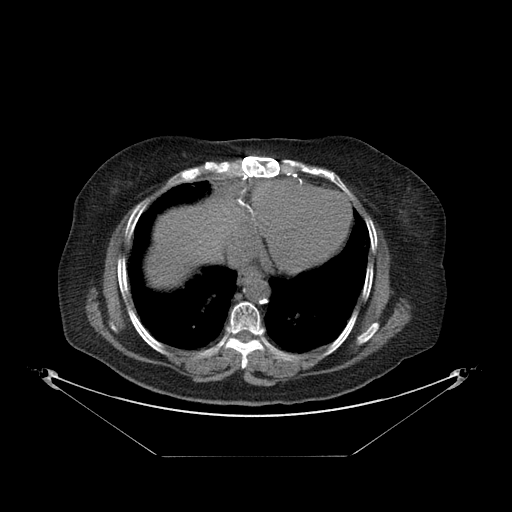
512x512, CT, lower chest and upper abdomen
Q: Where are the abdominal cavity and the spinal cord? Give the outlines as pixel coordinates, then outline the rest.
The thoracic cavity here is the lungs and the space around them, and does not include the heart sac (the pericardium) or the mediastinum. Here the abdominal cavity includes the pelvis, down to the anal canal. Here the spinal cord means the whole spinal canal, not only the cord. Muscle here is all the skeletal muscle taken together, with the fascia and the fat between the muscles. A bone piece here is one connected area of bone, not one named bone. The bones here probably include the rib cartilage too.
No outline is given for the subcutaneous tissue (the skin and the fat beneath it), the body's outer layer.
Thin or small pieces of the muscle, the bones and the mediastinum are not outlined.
A: Outlined structures:
abdominal cavity: 214 194; 237 197; 237 200; 254 227; 254 236; 236 244; 222 265; 202 267; 200 273; 188 280; 182 288; 167 293; 156 292; 150 289; 145 284; 141 264; 143 254; 150 241; 152 224; 157 214; 170 206; 190 203; 205 195; 209 197
spinal cord: 244 330; 250 332; 252 335; 252 337; 251 338; 251 339; 250 339; 248 341; 247 341; 246 342; 243 342; 242 341; 241 341; 239 339; 238 339; 236 337; 236 335; 239 332; 240 332; 241 331; 243 331
pericardium: 301 173; 325 178; 347 195; 353 204; 353 223; 351 230; 342 249; 321 265; 304 270; 293 277; 271 274; 267 272; 262 265; 261 252; 255 238; 256 230; 246 210; 238 200; 238 192; 245 183; 252 178; 273 178; 281 174; 297 178
thoracic cavity 1: 195 181; 208 181; 209 193; 190 202; 170 205; 156 214; 140 264; 145 286; 164 294; 182 289; 202 268; 226 266; 235 270; 236 287; 220 338; 206 348; 189 350; 162 343; 141 322; 129 288; 127 259; 135 227; 144 211; 170 188
thoracic cavity 2: 354 208; 357 210; 366 226; 369 238; 369 250; 363 285; 346 324; 330 343; 315 350; 292 353; 279 348; 268 339; 263 323; 272 295; 272 287; 269 283; 269 279; 271 276; 293 278; 304 271; 321 266; 336 256; 348 241; 354 223
bones 1: 249 155; 267 156; 277 160; 292 159; 309 167; 331 170; 339 176; 353 198; 350 199; 329 179; 321 175; 302 172; 297 177; 281 173; 273 177; 245 178; 206 172; 193 181; 164 189; 166 182; 184 169; 202 166; 206 161; 232 162
bones 2: 240 301; 251 302; 259 310; 265 335; 273 345; 298 358; 278 359; 267 349; 263 351; 255 349; 247 355; 247 364; 241 368; 241 354; 233 348; 222 347; 213 355; 198 357; 196 354; 199 351; 212 346; 221 338; 228 322; 230 309 with a hole at 244 330; 250 332; 252 335; 252 337; 251 338; 251 339; 250 339; 248 341; 247 341; 246 342; 243 342; 242 341; 241 341; 239 339; 238 339; 236 337; 236 335; 239 332; 240 332; 241 331; 243 331
bones 3: 127 305; 128 305; 135 312; 140 322; 148 331; 148 332; 156 340; 157 340; 164 345; 165 348; 170 353; 169 355; 165 355; 164 354; 162 354; 158 352; 156 350; 152 348; 140 336; 140 335; 135 329; 129 317; 129 315; 127 311
bones 4: 354 310; 357 310; 358 312; 357 314; 357 317; 355 320; 353 327; 351 329; 347 337; 334 351; 333 351; 330 354; 322 358; 320 358; 319 357; 320 355; 326 349; 328 345; 330 344; 343 330; 343 329; 347 324; 347 322; 350 318
bones 5: 146 198; 148 198; 149 199; 149 202; 146 208; 138 218; 136 222; 136 224; 134 227; 132 236; 130 238; 130 239; 128 240; 126 239; 125 237; 125 229; 126 228; 126 225; 127 224; 128 219; 135 206; 139 202; 140 202; 142 200
bones 6: 121 255; 124 255; 126 257; 126 274; 127 275; 127 282; 128 283; 128 288; 129 289; 129 293; 126 296; 126 301; 125 301; 122 297; 122 295; 120 291; 120 288; 119 287; 118 277; 117 276; 117 261; 118 260; 118 258
bones 7: 368 262; 371 262; 373 264; 373 278; 372 279; 372 284; 371 285; 371 288; 370 289; 370 292; 369 293; 368 298; 366 301; 364 301; 361 298; 361 292; 362 291; 362 289; 364 285; 364 282; 365 281; 366 268; 367 267; 367 264
bones 8: 365 216; 369 216; 372 219; 373 221; 373 224; 374 225; 374 227; 376 231; 376 234; 377 235; 377 246; 376 247; 376 249; 374 253; 373 253; 370 250; 370 238; 369 237; 368 229; 367 228; 367 226; 364 220; 364 217
bones 9: 374 322; 377 322; 379 324; 379 326; 378 327; 377 330; 374 333; 374 334; 367 341; 364 342; 362 344; 357 344; 357 343; 356 342; 356 338; 361 333; 364 332; 370 326; 370 325; 372 323; 373 323
muscle: 340 177; 356 190; 384 233; 390 255; 390 301; 395 302; 401 296; 414 299; 414 311; 409 321; 382 347; 363 359; 339 370; 279 385; 248 383; 243 379; 241 371; 220 380; 196 382; 170 367; 125 355; 89 323; 85 312; 86 295; 91 286; 100 287; 112 233; 142 193; 169 178; 162 188; 166 191; 148 206; 150 199; 146 197; 132 209; 124 229; 125 239; 128 241; 131 238; 129 253; 127 258; 121 254; 116 261; 119 291; 125 302; 130 293; 135 311; 128 304; 126 311; 139 336; 152 349; 165 356; 171 354; 165 345; 189 351; 201 350; 195 354; 198 358; 213 356; 222 348; 233 349; 240 354; 241 369; 247 366; 248 355; 255 350; 267 350; 276 359; 283 361; 296 360; 299 357; 295 354; 315 351; 324 346; 327 346; 318 357; 322 359; 330 355; 345 341; 354 327; 359 313; 354 309; 360 295; 364 302; 369 298; 374 264; 368 261; 368 254; 369 251; 374 254; 378 246; 373 219; 369 215; 362 217; 352 203; 353 194, around holes outlined by 374 322; 377 322; 379 324; 379 326; 378 327; 377 330; 374 333; 374 334; 367 341; 364 342; 362 344; 357 344; 357 343; 356 342; 356 338; 361 333; 364 332; 370 326; 370 325; 372 323; 373 323 and by 110 322; 111 322; 112 322; 113 323; 114 324; 114 325; 115 326; 116 327; 116 328; 117 329; 117 330; 117 331; 116 331; 115 331; 114 331; 113 330; 112 330; 111 329; 111 328; 110 327; 110 326; 110 325; 110 324; 110 323
mediastinum 1: 254 237; 260 252; 260 262; 262 267; 267 273; 274 275; 271 275; 268 279; 268 283; 271 287; 271 295; 267 310; 262 319; 260 310; 251 301; 240 300; 231 307; 231 300; 237 287; 237 272; 234 268; 223 265; 233 252; 236 245
mediastinum 2: 212 176; 224 176; 228 178; 239 177; 242 179; 251 178; 248 179; 238 190; 237 196; 233 194; 223 194; 222 193; 214 193; 209 196; 206 194; 209 194; 211 191; 209 189; 211 185; 209 181; 208 180; 195 180; 201 178; 207 178
torso: 162 134; 185 134; 212 140; 344 134; 369 143; 414 171; 439 198; 446 217; 443 265; 447 299; 437 342; 352 392; 320 401; 263 406; 207 404; 156 393; 125 379; 71 346; 62 330; 57 267; 70 230; 75 197; 109 157; 128 145